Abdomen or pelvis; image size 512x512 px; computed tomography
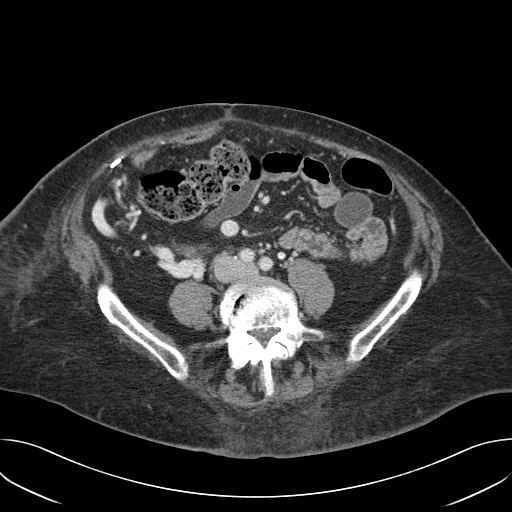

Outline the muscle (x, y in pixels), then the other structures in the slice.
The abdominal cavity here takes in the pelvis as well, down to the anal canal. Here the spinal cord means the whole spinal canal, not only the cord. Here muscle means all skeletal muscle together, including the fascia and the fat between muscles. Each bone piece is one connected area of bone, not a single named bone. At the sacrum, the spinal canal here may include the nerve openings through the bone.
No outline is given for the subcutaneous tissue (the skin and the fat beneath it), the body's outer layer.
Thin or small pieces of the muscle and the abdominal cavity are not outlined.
{"muscle":[[[226,110],[239,117],[329,138],[383,160],[433,205],[442,230],[444,245],[437,281],[415,302],[383,346],[372,350],[415,302],[424,281],[417,268],[402,280],[404,257],[414,241],[413,222],[396,181],[377,161],[343,155],[297,135],[222,121],[179,140],[121,153],[91,184],[85,197],[82,224],[107,261],[115,288],[105,281],[98,282],[96,304],[112,325],[143,347],[178,381],[190,375],[186,355],[149,330],[129,309],[152,321],[177,342],[204,340],[211,330],[188,327],[170,311],[168,299],[176,285],[184,281],[206,284],[217,293],[213,302],[227,334],[207,341],[204,346],[225,344],[229,366],[236,371],[248,363],[251,366],[260,363],[258,378],[266,397],[275,392],[272,360],[293,358],[304,342],[321,341],[324,329],[358,323],[389,298],[348,341],[346,363],[360,362],[370,352],[369,357],[327,393],[318,392],[294,404],[271,402],[256,409],[209,402],[167,378],[165,371],[120,343],[102,317],[84,302],[80,281],[70,273],[50,228],[52,218],[58,216],[69,195],[114,147],[144,135],[217,118]],[[299,258],[306,258],[321,264],[327,273],[328,277],[333,283],[333,286],[335,290],[333,301],[329,308],[319,318],[310,319],[305,323],[301,320],[300,317],[300,309],[298,298],[295,292],[290,286],[288,281],[288,271],[287,270],[288,266],[296,259]]],"bones":[{"outer":[[257,275],[278,279],[289,286],[296,297],[300,320],[323,331],[321,340],[304,341],[293,357],[271,360],[274,382],[271,396],[264,394],[259,378],[260,362],[255,365],[248,362],[236,370],[230,366],[225,343],[205,346],[228,334],[219,314],[225,290]],"hole":[[271,328],[272,329],[276,330],[276,331],[275,333],[269,338],[269,339],[265,343],[264,345],[263,345],[263,344],[250,332],[251,331],[253,331],[254,330],[258,330],[259,329],[262,329],[264,331],[266,331],[268,329],[270,329]]},[[100,282],[105,282],[111,286],[126,307],[143,326],[161,340],[176,347],[185,355],[189,366],[189,375],[186,379],[178,380],[172,376],[164,366],[151,353],[139,343],[130,338],[117,326],[112,324],[106,318],[101,312],[96,301],[96,288],[98,283]],[[413,269],[419,270],[422,274],[423,278],[419,294],[414,302],[406,312],[402,314],[386,332],[379,338],[367,355],[360,361],[353,363],[346,362],[345,358],[348,351],[348,344],[350,339],[357,332],[364,328],[378,314],[398,288],[404,278]]],"torso":[[[203,102],[270,104],[325,115],[380,137],[429,170],[461,201],[511,265],[511,392],[489,394],[472,399],[422,426],[371,443],[298,457],[263,456],[251,459],[215,455],[153,442],[109,428],[39,397],[0,390],[0,219],[48,170],[103,131],[151,111]]],"abdominal_cavity":[[[222,122],[297,136],[389,172],[413,241],[397,288],[363,319],[306,324],[336,292],[324,266],[306,257],[287,266],[289,285],[252,275],[218,305],[212,286],[177,283],[169,311],[211,331],[200,340],[177,341],[121,299],[84,228],[92,184],[121,154]]],"spinal_cord":[[[271,328],[272,329],[276,330],[276,331],[275,333],[269,338],[269,339],[265,343],[264,345],[263,345],[263,344],[250,332],[251,331],[253,331],[254,330],[258,330],[259,329],[262,329],[264,331],[266,331],[268,329],[270,329]]]}